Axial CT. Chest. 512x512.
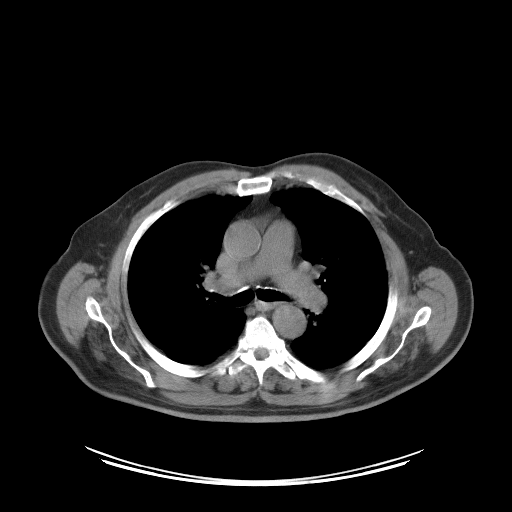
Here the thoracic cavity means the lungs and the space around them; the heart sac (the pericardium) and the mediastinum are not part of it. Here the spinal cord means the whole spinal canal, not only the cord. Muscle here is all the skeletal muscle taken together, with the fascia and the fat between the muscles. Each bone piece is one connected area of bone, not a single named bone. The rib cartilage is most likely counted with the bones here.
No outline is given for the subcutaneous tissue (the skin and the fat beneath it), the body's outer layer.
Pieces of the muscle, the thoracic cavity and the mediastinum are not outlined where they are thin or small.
The mediastinum appears in 2 outlined pieces: piece 1: (296, 227) (301, 240) (301, 255) (313, 278) (313, 284) (305, 296) (303, 312) (307, 316) (306, 329) (288, 347) (264, 315) (257, 314) (247, 319) (243, 310) (234, 307) (235, 304) (220, 292) (215, 264) (220, 251) (217, 271) (237, 287) (272, 283) (289, 274) (296, 265); piece 2: (295, 184) (303, 184) (306, 186) (280, 189) (274, 191) (270, 195) (270, 201) (274, 205) (278, 206) (288, 218) (275, 212) (267, 212) (249, 217) (240, 217) (229, 225) (223, 240) (226, 228) (230, 221) (235, 214) (250, 203) (252, 200) (252, 195) (265, 194) (274, 186). The thoracic cavity appears in 2 outlined pieces: piece 1: (209, 192) (239, 197) (251, 196) (249, 203) (234, 214) (225, 228) (214, 264) (219, 292) (234, 304) (234, 308) (242, 310) (246, 320) (235, 346) (217, 361) (200, 366) (174, 360) (159, 350) (145, 336) (133, 315) (127, 283) (134, 250) (146, 231) (160, 217) (178, 205); piece 2: (307, 186) (351, 207) (368, 220) (381, 247) (388, 285) (385, 309) (371, 337) (342, 363) (319, 370) (303, 362) (288, 348) (307, 329) (308, 316) (304, 309) (306, 296) (314, 284) (314, 278) (302, 255) (302, 240) (297, 227) (282, 209) (271, 201) (271, 195) (276, 191). The bones appear in 7 outlined pieces: piece 1: (127, 313) (133, 325) (159, 351) (174, 361) (202, 368) (229, 353) (243, 333) (246, 321) (262, 315) (287, 348) (303, 363) (322, 372) (326, 381) (292, 380) (269, 367) (263, 373) (260, 386) (250, 365) (233, 377) (227, 372) (196, 378) (174, 374) (146, 353) (132, 331), around a hole outlined by (258, 348) (265, 348) (267, 350) (267, 351) (268, 352) (268, 355) (266, 357) (265, 357) (264, 358) (263, 358) (262, 359) (258, 359) (257, 358) (256, 358) (256, 357) (255, 356) (255, 355) (254, 354) (254, 353) (255, 352) (255, 350) (256, 349) (257, 349); piece 2: (390, 284) (397, 290) (398, 293) (398, 296) (397, 297) (397, 307) (393, 321) (384, 339) (376, 349) (362, 363) (350, 370) (344, 372) (340, 372) (340, 369) (342, 366) (342, 364) (353, 356) (372, 337) (377, 330) (383, 318) (386, 309) (387, 298) (388, 297) (388, 290); piece 3: (174, 197) (179, 201) (179, 204) (160, 216) (145, 231) (137, 242) (133, 250) (133, 252) (129, 262) (129, 267) (127, 272) (127, 282) (126, 283) (124, 282) (122, 279) (122, 262) (125, 254) (125, 251) (133, 234) (142, 221) (150, 213) (160, 208) (167, 200); piece 4: (282, 171) (291, 171) (293, 173) (301, 173) (309, 176) (314, 176) (333, 184) (345, 195) (356, 202) (365, 212) (366, 217) (351, 206) (333, 197) (331, 197) (321, 191) (305, 184) (303, 182) (301, 182) (296, 179) (289, 179) (286, 177) (284, 177) (281, 175) (280, 173); piece 5: (272, 171) (275, 172) (276, 174) (272, 179) (272, 186) (270, 190) (265, 193) (239, 196) (238, 195) (233, 195) (232, 194) (225, 193) (221, 190) (221, 187) (222, 186) (224, 186) (228, 184) (235, 184) (241, 178) (247, 178) (248, 177) (257, 176) (262, 174) (267, 174); piece 6: (88, 296) (93, 297) (99, 304) (102, 315) (111, 328) (112, 336) (116, 344) (122, 350) (125, 351) (137, 365) (147, 370) (150, 373) (156, 387) (150, 388) (146, 385) (143, 375) (114, 348) (109, 339) (109, 335) (106, 327) (101, 322) (90, 318) (85, 308) (85, 302); piece 7: (423, 306) (429, 306) (431, 308) (431, 313) (427, 322) (424, 325) (413, 328) (408, 332) (402, 347) (391, 359) (380, 365) (361, 380) (356, 381) (357, 376) (364, 369) (370, 366) (376, 359) (380, 357) (386, 357) (393, 352) (400, 343) (401, 336) (411, 323) (415, 313). The spinal cord is outlined by (258, 348) (265, 348) (267, 350) (267, 351) (268, 352) (268, 355) (266, 357) (265, 357) (264, 358) (263, 358) (262, 359) (258, 359) (257, 358) (256, 358) (256, 357) (255, 356) (255, 355) (254, 354) (254, 353) (255, 352) (255, 350) (256, 349) (257, 349). The torso is outlined by (312, 151) (343, 156) (379, 176) (461, 261) (472, 282) (474, 309) (470, 329) (456, 354) (431, 377) (387, 401) (305, 421) (188, 419) (108, 398) (86, 386) (50, 345) (37, 315) (42, 280) (68, 246) (74, 230) (134, 185) (178, 163) (213, 159) (262, 165). The pericardium is outlined by (267, 213) (275, 213) (279, 216) (285, 217) (295, 227) (297, 235) (297, 253) (295, 265) (289, 273) (272, 282) (265, 282) (246, 286) (237, 286) (231, 283) (225, 277) (221, 275) (218, 271) (218, 262) (221, 255) (221, 247) (226, 232) (230, 225) (240, 218) (249, 218). The muscle is outlined by (297, 163) (332, 170) (366, 196) (385, 215) (382, 221) (410, 272) (418, 273) (435, 266) (452, 279) (458, 299) (457, 318) (449, 337) (436, 352) (418, 358) (328, 406) (276, 405) (257, 397) (236, 405) (187, 406) (170, 403) (154, 389) (157, 385) (151, 373) (117, 344) (112, 328) (93, 296) (85, 298) (87, 315) (105, 327) (113, 348) (142, 375) (149, 388) (118, 374) (66, 340) (58, 323) (55, 303) (59, 284) (67, 271) (80, 260) (100, 267) (111, 257) (134, 214) (176, 182) (205, 171) (234, 168) (250, 172) (252, 176) (241, 177) (235, 183) (222, 185) (219, 191) (209, 191) (181, 203) (171, 197) (150, 212) (132, 234) (121, 262) (121, 279) (126, 284) (128, 303) (139, 327) (126, 313) (139, 345) (155, 363) (174, 375) (196, 379) (227, 373) (233, 378) (250, 366) (260, 387) (269, 368) (292, 381) (324, 384) (327, 378) (320, 370) (341, 364) (339, 372) (344, 373) (362, 364) (385, 339) (396, 315) (399, 293) (388, 284) (381, 244) (366, 212) (356, 201) (325, 179) (291, 170) (282, 170) (280, 175) (303, 183) (273, 186) (277, 173) (273, 170) (264, 173) (280, 165), around a hole outlined by (423, 306) (429, 306) (431, 308) (431, 313) (427, 322) (424, 325) (413, 328) (408, 332) (402, 347) (391, 359) (380, 365) (361, 380) (356, 381) (357, 376) (364, 369) (370, 366) (376, 359) (380, 357) (386, 357) (393, 352) (400, 343) (401, 336) (411, 323) (415, 313).